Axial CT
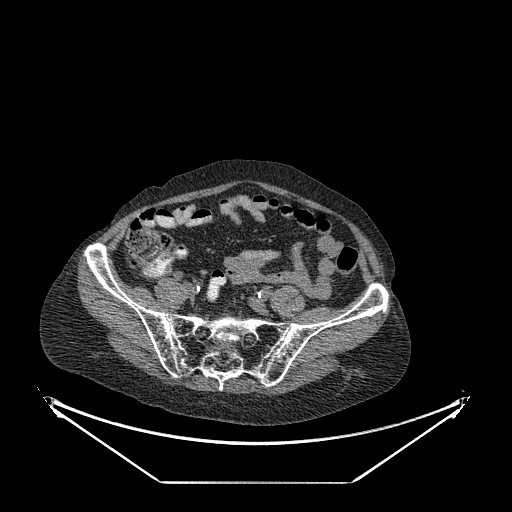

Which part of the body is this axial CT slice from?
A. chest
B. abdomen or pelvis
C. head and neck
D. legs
B. abdomen or pelvis
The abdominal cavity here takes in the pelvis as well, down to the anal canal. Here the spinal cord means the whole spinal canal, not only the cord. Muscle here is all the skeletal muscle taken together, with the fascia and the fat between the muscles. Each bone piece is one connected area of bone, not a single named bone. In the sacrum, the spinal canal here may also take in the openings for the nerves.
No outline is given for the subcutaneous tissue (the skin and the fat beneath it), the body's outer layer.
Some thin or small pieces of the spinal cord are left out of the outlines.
Outlines:
muscle 1: (242, 179) (265, 182) (294, 192) (341, 214) (355, 224) (371, 242) (382, 262) (392, 301) (390, 311) (379, 330) (343, 355) (344, 370) (339, 369) (278, 395) (258, 396) (255, 393) (223, 392) (227, 380) (247, 374) (257, 379) (265, 388) (273, 387) (283, 380) (292, 362) (312, 337) (327, 328) (370, 317) (378, 312) (385, 314) (388, 310) (387, 288) (377, 280) (370, 282) (366, 287) (359, 264) (360, 245) (345, 223) (328, 212) (253, 183) (240, 183) (215, 194) (145, 207) (129, 220) (122, 237) (111, 252) (111, 258) (121, 279) (132, 287) (141, 286) (153, 294) (158, 281) (165, 277) (187, 284) (187, 296) (173, 312) (148, 308) (134, 300) (116, 280) (109, 263) (107, 246) (101, 241) (94, 241) (118, 220) (142, 206)
muscle 2: (83, 250) (82, 255) (85, 263) (100, 285) (137, 314) (163, 369) (173, 379) (179, 379) (184, 374) (190, 375) (198, 371) (205, 378) (215, 379) (218, 383) (219, 392) (204, 392) (163, 383) (119, 357) (113, 351) (106, 341) (106, 328) (86, 311) (79, 298) (77, 263)
muscle 3: (283, 286) (293, 286) (298, 290) (299, 293) (304, 298) (305, 304) (303, 308) (305, 310) (320, 306) (330, 308) (342, 308) (365, 289) (359, 299) (349, 308) (331, 318) (310, 323) (298, 323) (293, 321) (287, 323) (285, 321) (286, 319) (275, 311) (270, 304) (270, 292)
torso: (223, 159) (289, 164) (353, 200) (372, 219) (394, 259) (392, 287) (411, 339) (409, 363) (392, 388) (306, 421) (269, 426) (241, 425) (175, 414) (141, 403) (79, 374) (60, 369) (45, 356) (38, 330) (40, 310) (50, 285) (76, 247) (144, 188) (161, 186) (175, 175)
spinal cord 1: (198, 326) (202, 326) (204, 328) (206, 328) (207, 329) (208, 329) (209, 330) (209, 334) (208, 335) (207, 335) (206, 336) (206, 337) (205, 338) (199, 338) (198, 337) (198, 336) (196, 334) (196, 330) (197, 329) (197, 327)
spinal cord 2: (246, 334) (253, 334) (254, 335) (254, 336) (255, 337) (255, 341) (253, 343) (252, 343) (251, 344) (246, 344) (245, 343) (245, 335)
abdominal cavity: (240, 184) (257, 185) (339, 219) (359, 245) (358, 264) (365, 287) (342, 307) (305, 309) (299, 290) (283, 285) (269, 292) (271, 308) (285, 319) (274, 321) (174, 312) (188, 296) (187, 283) (161, 277) (153, 293) (125, 282) (112, 252) (130, 220) (148, 207) (215, 195)
bones: (93, 242) (106, 246) (118, 285) (134, 301) (156, 311) (310, 324) (345, 312) (374, 281) (388, 292) (387, 310) (321, 330) (273, 386) (265, 387) (243, 373) (227, 379) (219, 391) (218, 381) (198, 370) (173, 378) (164, 369) (138, 314) (105, 289) (89, 269) (83, 252); inner edges: (198, 326) (202, 326) (204, 328) (206, 328) (207, 329) (208, 329) (209, 330) (209, 334) (208, 335) (207, 335) (206, 336) (206, 337) (205, 338) (199, 338) (198, 337) (198, 336) (196, 334) (196, 330) (197, 329) (197, 327), then (218, 362) (225, 362) (226, 363) (227, 363) (228, 364) (229, 364) (229, 366) (230, 367) (230, 368) (229, 369) (228, 369) (227, 370) (219, 370) (218, 369) (216, 369) (215, 368) (215, 364) (216, 363) (217, 363), then (246, 334) (253, 334) (254, 335) (254, 336) (255, 337) (255, 341) (253, 343) (252, 343) (251, 344) (246, 344) (245, 343) (245, 335)